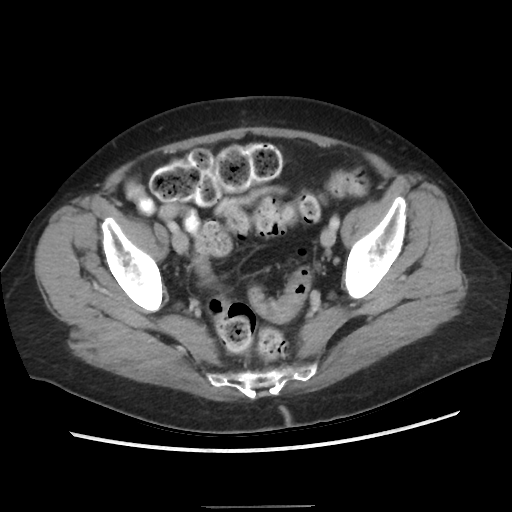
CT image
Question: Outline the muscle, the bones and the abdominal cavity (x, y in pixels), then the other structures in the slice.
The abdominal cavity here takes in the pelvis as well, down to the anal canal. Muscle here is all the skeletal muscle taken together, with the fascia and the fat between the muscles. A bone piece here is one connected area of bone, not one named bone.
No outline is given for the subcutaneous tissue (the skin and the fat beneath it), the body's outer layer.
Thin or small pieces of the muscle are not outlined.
Answer: Outlines:
muscle: 254,126 340,139 401,172 431,178 445,193 457,225 460,267 468,280 461,313 326,387 296,395 255,399 258,390 265,389 278,396 285,384 289,380 304,382 316,373 316,361 285,361 300,326 335,303 343,272 352,299 376,287 402,250 407,201 397,195 347,256 340,234 344,217 381,198 387,188 376,169 349,147 247,132 149,156 117,184 120,211 167,230 162,278 156,260 112,216 99,227 105,262 125,294 156,312 163,281 173,305 203,324 221,354 245,369 207,371 209,383 233,387 253,400 211,400 139,382 74,356 66,343 67,326 46,307 34,274 35,249 50,216 153,148
bones 1: 397,196 404,197 406,201 406,211 405,212 406,214 406,224 401,250 387,272 371,291 363,297 352,298 348,294 346,290 344,281 344,271 349,251 352,245 357,240 369,232 379,223 388,211 393,200
bones 2: 106,217 112,217 120,226 126,237 133,244 150,255 155,260 159,268 162,279 162,301 158,310 156,311 149,311 135,303 122,289 110,271 106,262 104,251 102,247 102,231 100,227 100,224 104,218
bones 3: 283,362 296,362 298,364 316,362 317,368 315,373 307,380 289,379 284,384 278,395 270,394 265,388 258,389 256,391 256,397 251,399 233,386 214,386 206,377 207,372 223,372 228,370 238,371 270,367
abdominal cavity: 247,133 355,150 386,184 381,197 352,208 341,221 346,260 337,299 299,326 286,360 254,368 231,362 206,326 174,305 163,280 163,264 170,252 168,230 159,222 120,210 115,199 124,174 147,158 240,139
torso: 264,94 315,98 369,116 427,153 459,185 484,223 511,246 508,297 490,358 362,413 313,425 256,433 216,434 170,429 125,415 51,383 31,378 8,321 0,268 33,217 88,157 131,125 169,108 194,101